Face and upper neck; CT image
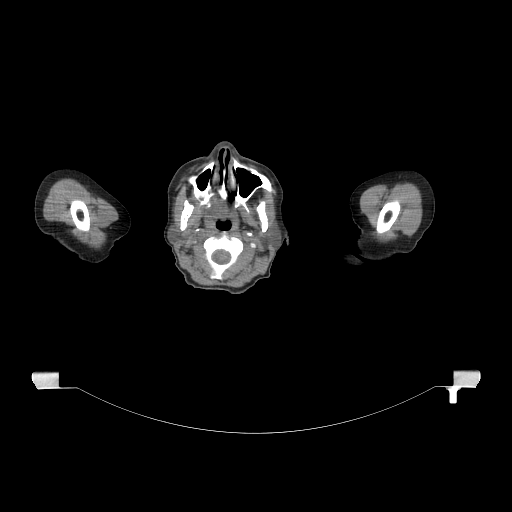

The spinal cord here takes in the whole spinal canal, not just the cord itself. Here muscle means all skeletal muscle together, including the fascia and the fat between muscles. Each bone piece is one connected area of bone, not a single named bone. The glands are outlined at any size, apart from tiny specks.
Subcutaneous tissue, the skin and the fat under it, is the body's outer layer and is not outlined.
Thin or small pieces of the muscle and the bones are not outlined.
{"parotid_glands":[[[274,220],[276,222],[277,222],[281,230],[281,238],[279,240],[278,243],[277,243],[274,246],[274,247],[273,245],[271,245],[268,242],[268,240],[267,239],[267,234],[268,233],[268,230],[269,229],[268,228],[270,227],[270,224]],[[173,222],[176,224],[176,225],[177,226],[177,227],[179,230],[179,238],[178,239],[178,240],[177,241],[176,241],[174,243],[172,243],[172,242],[171,241],[170,241],[170,240],[168,238],[168,228],[170,226],[170,225]]],"spinal_cord":[[[216,250],[223,250],[224,251],[226,251],[227,252],[228,252],[229,253],[229,254],[230,255],[230,258],[229,259],[229,260],[227,262],[226,262],[225,263],[218,263],[217,262],[216,262],[212,258],[212,255],[213,254],[213,253]]],"left_arm":[[[396,169],[415,170],[424,175],[430,182],[435,197],[435,212],[430,226],[415,248],[408,253],[397,253],[380,261],[361,257],[364,262],[361,267],[341,263],[338,259],[341,252],[359,256],[355,243],[360,230],[351,217],[349,207],[352,191],[363,181]]],"head_and_neck":[{"outer":[[221,140],[230,141],[243,156],[266,165],[274,172],[283,190],[281,211],[289,235],[289,244],[283,242],[276,252],[270,276],[259,280],[241,293],[204,290],[188,285],[175,266],[171,248],[163,236],[167,220],[167,187],[173,174],[183,163],[208,154]],"holes":[[[238,169],[241,169],[242,170],[244,170],[248,172],[253,176],[255,176],[255,177],[257,178],[258,180],[259,180],[259,183],[254,186],[251,189],[251,190],[246,195],[244,196],[241,194],[240,184],[239,183],[238,178],[235,172],[236,170]],[[207,170],[208,170],[210,172],[210,175],[209,176],[209,177],[207,179],[207,180],[206,181],[206,183],[205,184],[205,186],[203,188],[201,188],[198,185],[198,179],[200,177],[200,176],[201,176]],[[227,221],[228,222],[229,222],[229,223],[230,224],[230,225],[229,226],[229,227],[227,229],[220,229],[216,225],[216,224],[217,223],[217,222],[226,222]],[[221,150],[223,150],[223,153],[222,154],[222,167],[221,167],[221,166],[220,165],[220,163],[219,162],[219,159],[218,158],[219,157],[219,153],[220,152],[220,151]]]}],"bones":[{"outer":[[224,152],[226,163],[231,154],[241,163],[264,174],[271,183],[272,192],[258,188],[250,197],[246,202],[248,211],[242,205],[234,207],[233,192],[226,200],[216,193],[210,198],[209,207],[200,205],[188,181],[191,175],[211,160],[218,160],[222,168]],"holes":[[[238,169],[241,169],[242,170],[244,170],[248,172],[253,176],[255,176],[255,177],[257,178],[258,180],[259,180],[259,183],[254,186],[251,189],[251,190],[246,195],[244,196],[241,194],[240,184],[239,183],[238,178],[235,172],[236,170]],[[207,170],[208,170],[210,172],[210,175],[209,176],[209,177],[207,179],[207,180],[206,181],[206,183],[205,184],[205,186],[203,188],[201,188],[198,185],[198,179],[200,177],[200,176],[201,176]]]},{"outer":[[223,230],[226,230],[227,234],[229,236],[235,236],[239,238],[243,242],[243,250],[238,256],[237,260],[224,271],[222,274],[223,279],[211,278],[210,275],[212,272],[212,269],[204,256],[205,251],[203,247],[203,242],[206,238],[210,236],[219,236]],"hole":[[216,250],[223,250],[224,251],[226,251],[227,252],[228,252],[229,253],[229,254],[230,255],[230,258],[229,259],[229,260],[227,262],[226,262],[225,263],[218,263],[217,262],[216,262],[212,258],[212,255],[213,254],[213,253]]},[[392,200],[397,200],[399,202],[400,204],[400,211],[396,219],[394,221],[390,228],[387,231],[383,233],[378,234],[376,232],[375,227],[376,226],[377,218],[378,217],[379,212],[383,205],[386,202],[388,201],[391,201]],[[74,199],[80,199],[82,200],[85,203],[87,207],[87,209],[89,213],[89,220],[90,221],[90,227],[88,231],[82,231],[81,230],[79,230],[76,227],[72,219],[71,214],[69,211],[69,208],[70,207],[70,202]],[[261,200],[265,200],[265,203],[266,204],[265,205],[265,211],[266,212],[266,215],[268,219],[268,227],[267,229],[264,232],[262,232],[261,231],[261,227],[260,226],[260,221],[258,218],[258,215],[256,211],[256,207],[258,205],[259,202]],[[185,199],[187,199],[188,201],[191,204],[192,204],[194,207],[193,208],[193,210],[190,216],[187,220],[187,226],[185,228],[185,229],[182,231],[180,230],[180,228],[179,227],[180,226],[180,216],[181,215],[181,212],[184,206],[184,200]]],"muscle":[{"outer":[[211,158],[216,160],[187,178],[200,206],[209,208],[216,194],[223,201],[232,201],[235,209],[242,206],[248,212],[247,202],[258,189],[272,193],[274,189],[270,179],[264,173],[253,166],[246,164],[256,166],[265,172],[273,181],[277,191],[276,221],[269,227],[266,200],[261,199],[255,207],[260,231],[267,230],[267,242],[274,248],[266,271],[240,287],[197,283],[180,265],[173,244],[188,226],[195,207],[187,198],[183,200],[178,227],[172,215],[175,187],[188,168]],"hole":[[227,221],[230,224],[226,230],[227,234],[229,236],[239,238],[243,242],[243,250],[238,256],[237,260],[224,271],[222,274],[223,279],[211,278],[210,275],[212,269],[204,256],[205,251],[203,242],[210,236],[219,236],[223,230],[216,225],[217,222]]},{"outer":[[64,177],[69,177],[77,180],[90,192],[106,200],[118,212],[119,217],[111,225],[111,229],[108,232],[109,233],[107,241],[102,248],[94,249],[80,242],[70,233],[70,227],[68,225],[62,222],[52,222],[44,219],[42,208],[49,188],[55,181]],"hole":[[74,199],[80,199],[82,200],[85,203],[87,207],[87,209],[89,213],[89,220],[90,221],[90,227],[88,231],[82,231],[81,230],[79,230],[76,227],[72,219],[71,214],[69,211],[69,208],[70,207],[70,202]]},{"outer":[[406,181],[416,184],[419,187],[422,195],[423,214],[420,225],[411,236],[402,234],[397,239],[392,241],[385,243],[377,242],[370,236],[369,233],[371,228],[366,217],[361,213],[359,206],[360,196],[363,191],[376,184],[386,184],[391,187],[398,182]],"hole":[[392,200],[397,200],[399,202],[400,204],[400,211],[396,219],[394,221],[390,228],[387,231],[383,233],[378,234],[376,232],[375,227],[376,226],[377,218],[378,217],[379,212],[383,205],[386,202],[388,201],[391,201]]}],"right_arm":[[[58,168],[73,168],[84,172],[117,198],[125,206],[129,212],[131,218],[131,225],[128,232],[115,242],[108,257],[100,262],[90,263],[81,260],[74,253],[58,243],[49,235],[42,233],[35,223],[34,219],[34,199],[37,188],[41,180],[49,172]]]}